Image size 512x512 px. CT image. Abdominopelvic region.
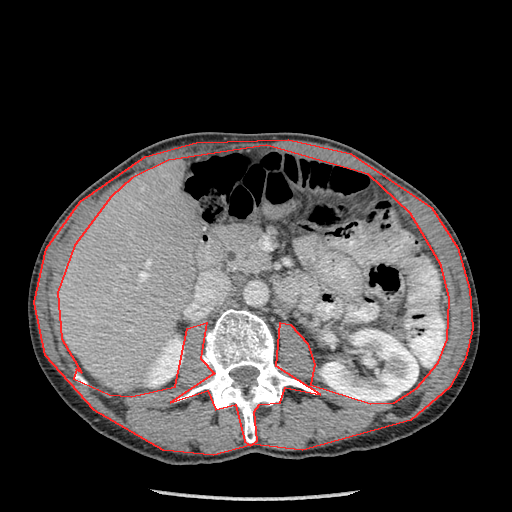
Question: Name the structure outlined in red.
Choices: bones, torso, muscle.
Answer: red: muscle.
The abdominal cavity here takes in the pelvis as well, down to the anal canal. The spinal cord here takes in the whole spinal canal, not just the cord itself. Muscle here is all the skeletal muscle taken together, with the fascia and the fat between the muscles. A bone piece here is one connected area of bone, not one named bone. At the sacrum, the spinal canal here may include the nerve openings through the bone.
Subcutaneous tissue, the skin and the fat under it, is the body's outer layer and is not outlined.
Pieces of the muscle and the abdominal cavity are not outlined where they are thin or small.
{"muscle":[[[288,139],[350,153],[431,207],[457,247],[469,289],[472,328],[465,358],[449,387],[410,420],[302,450],[252,444],[257,440],[254,411],[259,404],[280,402],[285,387],[320,394],[276,366],[280,322],[290,324],[307,343],[314,364],[310,384],[370,403],[394,402],[416,388],[438,362],[447,339],[449,298],[441,265],[410,213],[368,174],[266,145],[168,160],[131,178],[111,196],[74,245],[57,292],[61,338],[81,372],[76,369],[73,378],[109,394],[131,396],[175,386],[187,328],[206,322],[200,358],[214,373],[170,402],[207,390],[215,409],[235,404],[244,441],[250,445],[213,455],[163,450],[94,410],[45,355],[34,302],[46,248],[80,201],[145,156],[196,142]]],"spinal_cord":[[[241,366],[252,366],[253,367],[255,367],[259,371],[258,373],[258,375],[255,379],[255,383],[247,387],[244,387],[240,384],[239,384],[237,382],[236,382],[234,380],[234,379],[230,375],[230,371],[234,368],[236,368],[237,367],[240,367]]],"abdominal_cavity":[[[243,146],[368,175],[413,218],[439,262],[449,320],[441,355],[410,392],[358,401],[310,383],[310,348],[290,323],[275,324],[275,362],[266,321],[232,307],[207,331],[205,320],[186,328],[172,387],[115,394],[82,374],[58,305],[75,245],[136,176]]],"torso":[[[199,131],[287,131],[334,139],[370,156],[439,208],[460,240],[472,272],[480,334],[470,373],[438,419],[383,447],[333,458],[249,453],[222,462],[173,465],[102,435],[62,400],[37,362],[28,328],[29,281],[44,238],[78,194],[130,155],[157,141]]],"bones":[{"outer":[[230,308],[245,309],[262,318],[274,337],[277,369],[319,391],[314,395],[285,386],[280,401],[270,406],[259,403],[253,411],[256,440],[251,444],[245,441],[243,415],[235,403],[217,409],[207,389],[171,402],[213,377],[214,370],[201,358],[205,336]],"hole":[[241,366],[252,366],[253,367],[255,367],[259,371],[258,373],[258,375],[255,379],[255,383],[247,387],[244,387],[240,384],[239,384],[237,382],[236,382],[234,380],[234,379],[230,375],[230,371],[234,368],[236,368],[237,367],[240,367]]},[[76,370],[77,370],[85,378],[85,379],[88,382],[88,385],[87,386],[86,386],[85,385],[83,385],[82,384],[81,384],[80,383],[79,383],[77,381],[76,381],[76,380],[74,378],[74,377],[73,376],[73,374],[74,373],[74,372]]]}